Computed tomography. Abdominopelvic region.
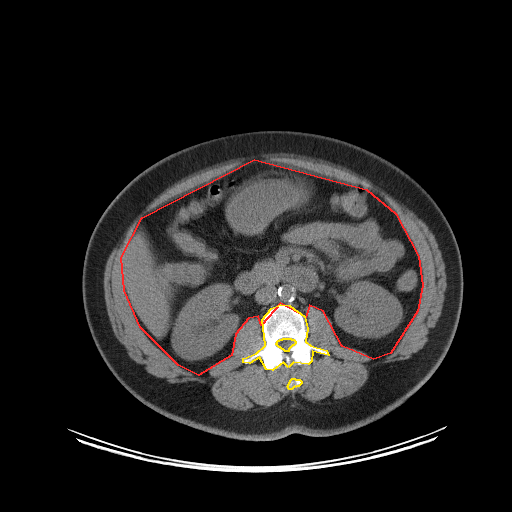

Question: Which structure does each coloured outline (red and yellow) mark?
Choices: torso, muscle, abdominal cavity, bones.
Answer: red: abdominal cavity; yellow: bones.
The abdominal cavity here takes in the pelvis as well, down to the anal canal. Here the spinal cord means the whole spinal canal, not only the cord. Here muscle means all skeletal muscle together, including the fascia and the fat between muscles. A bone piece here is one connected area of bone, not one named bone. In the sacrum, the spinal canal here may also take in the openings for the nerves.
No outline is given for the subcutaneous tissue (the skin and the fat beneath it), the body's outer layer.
Outlines:
abdominal cavity: 254,159 366,189 395,213 418,256 422,285 417,311 390,353 373,359 342,346 323,311 309,305 305,317 280,303 261,325 258,316 248,318 235,334 231,355 198,375 178,365 140,327 124,290 121,257 142,217
bones 1: 280,304 289,305 304,316 307,328 305,341 310,345 326,350 328,355 312,351 311,361 308,364 293,362 288,367 283,362 272,370 266,369 259,357 249,363 243,362 243,358 256,353 265,345 262,319 271,308; inner edge: 283,338 290,338 291,339 293,339 295,341 295,343 293,345 292,345 288,349 288,351 285,351 283,349 282,349 280,347 279,347 276,344 276,343 277,342 277,341 278,340 279,340 280,339 282,339
bones 2: 292,378 294,378 295,379 299,379 301,381 301,383 298,386 296,386 295,387 294,386 291,389 289,389 288,388 288,387 287,386 288,385 288,384 289,383 289,382 290,381 290,380
muscle: 281,152 282,153 291,153 296,155 303,155 316,159 321,159 333,164 344,167 366,178 373,184 381,188 398,202 411,210 426,224 435,237 438,248 441,252 441,255 445,264 447,285 444,293 444,301 441,314 436,323 436,325 430,329 428,334 428,340 424,346 418,351 413,353 407,359 397,360 383,364 378,364 371,367 369,369 369,375 365,383 357,391 351,395 344,397 342,399 330,402 311,402 298,395 294,398 289,395 277,403 268,407 262,407 258,409 249,409 248,410 236,410 228,408 220,404 213,397 210,388 207,385 199,383 196,381 187,381 180,383 170,383 164,378 156,377 148,373 144,369 144,366 142,364 139,364 135,362 128,355 125,347 115,336 107,313 105,299 104,298 104,289 103,288 104,269 107,259 112,249 123,237 124,233 135,217 154,197 174,182 200,169 232,158 258,155 261,153 280,153 with holes at 254,159 366,189 395,213 422,285 390,353 373,359 340,345 331,319 309,305 305,341 328,355 312,351 308,364 272,370 259,357 244,363 266,343 254,316 237,330 231,355 198,375 140,327 121,257 142,217 and at 292,378 294,378 295,379 299,379 301,381 301,383 298,386 296,386 295,387 294,386 291,389 289,389 288,388 288,387 287,386 288,385 288,384 289,383 289,382 290,381 290,380
spinal cord: 283,338 290,338 291,339 293,339 295,341 295,343 293,345 292,345 288,349 288,351 285,351 283,349 282,349 280,347 279,347 276,344 276,343 277,342 277,341 278,340 279,340 280,339 282,339
torso: 261,129 325,134 391,161 435,200 460,250 462,308 445,357 403,404 352,431 326,437 291,433 269,441 246,441 176,422 144,405 115,378 86,322 82,270 87,244 100,216 120,190 142,170 174,151 210,138